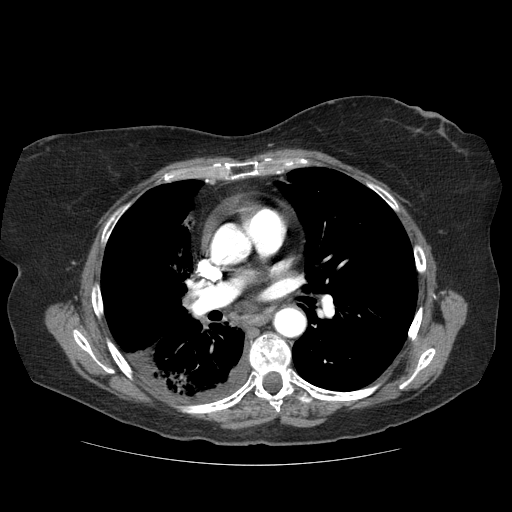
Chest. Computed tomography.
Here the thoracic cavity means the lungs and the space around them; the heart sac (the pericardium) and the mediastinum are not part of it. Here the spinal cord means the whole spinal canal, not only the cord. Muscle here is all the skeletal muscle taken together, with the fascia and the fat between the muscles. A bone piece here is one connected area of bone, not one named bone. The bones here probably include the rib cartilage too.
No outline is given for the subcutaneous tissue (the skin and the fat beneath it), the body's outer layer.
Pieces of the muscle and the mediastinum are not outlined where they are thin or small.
Outlines (x, y in pixels):
bones 1: 265,332 285,341 294,370 317,387 348,392 382,383 368,396 343,401 313,398 302,402 296,397 302,390 299,388 283,398 279,412 252,391 224,409 208,413 179,411 173,405 210,403 241,387 252,370 250,344 with a hole at 270,372 276,372 278,373 281,379 281,387 277,391 275,392 270,392 268,391 264,387 263,385 263,381 264,380 264,378 265,376 268,373
bones 2: 266,156 273,158 303,157 319,161 325,166 298,167 281,173 254,175 232,180 216,179 214,181 206,181 203,178 188,178 168,183 161,183 158,185 154,184 162,175 171,170 183,167 210,165 215,162 260,161
bones 3: 129,201 131,201 132,202 131,205 121,215 121,216 115,224 107,240 107,242 105,245 105,247 103,248 101,246 101,236 102,235 102,231 103,230 103,228 106,221 108,219 110,215 118,207 123,205 125,203
bones 4: 106,337 108,337 115,344 115,345 117,347 117,348 119,350 121,354 124,357 126,361 129,364 129,365 133,370 133,379 132,380 121,371 121,370 113,359 108,349 108,347 106,344 106,341 105,340 105,338
bones 5: 431,347 433,347 435,349 435,353 430,362 424,368 421,369 418,372 418,373 415,376 415,377 411,382 410,382 403,389 400,389 398,387 398,386 404,381 405,381 413,373 417,365 418,360 421,354 425,350
bones 6: 74,329 77,329 85,337 85,338 89,343 89,345 95,356 104,365 113,369 115,371 114,373 108,373 106,372 95,362 95,361 91,357 91,356 85,350 82,349 80,347 80,346 74,339 73,333 72,332
bones 7: 366,180 367,181 370,181 377,185 379,185 381,187 385,189 388,192 389,192 397,201 397,203 399,207 399,212 398,213 396,213 392,209 392,208 379,195 378,195 372,189 371,189 365,184 364,184 364,182
bones 8: 96,281 98,281 99,282 99,286 100,287 100,292 101,293 101,299 102,300 102,303 103,304 103,317 100,320 99,320 97,318 94,312 94,310 93,309 93,307 91,303 91,288 92,287 92,285
bones 9: 421,305 423,307 423,312 422,313 421,322 420,323 420,325 419,326 419,328 418,329 418,331 417,332 415,339 413,341 411,341 407,338 408,330 413,320 413,318 414,317 414,315 416,312 417,308
bones 10: 415,243 418,243 422,247 422,248 423,249 423,250 424,251 424,254 425,255 425,271 423,273 418,273 418,272 417,271 417,270 416,269 416,264 415,263 415,258 414,257 414,253 413,252 413,245
mediastinum: 286,171 287,182 274,185 293,210 272,192 236,188 199,223 197,254 195,254 193,264 196,268 197,275 205,285 230,302 279,300 290,293 298,279 303,232 303,275 295,297 307,325 291,347 272,331 250,343 240,328 208,310 196,294 196,279 194,277 190,232 204,184 198,179
torso: 365,94 438,112 481,136 494,162 502,190 490,247 500,299 494,349 472,388 417,419 363,437 221,446 169,439 122,423 31,379 6,309 17,268 0,257 6,198 27,144 55,133 152,124 244,135 320,102
muscle: 282,148 326,153 384,182 409,202 405,206 431,246 437,289 452,289 468,304 465,322 439,376 411,399 336,411 322,423 310,427 286,425 275,419 243,429 226,429 213,422 176,417 120,398 77,373 48,331 44,312 48,305 73,300 78,294 81,272 98,220 126,191 172,162 228,156 239,161 215,161 166,171 154,186 133,202 129,200 118,206 105,221 100,236 100,246 104,249 100,276 99,281 91,285 90,303 96,318 105,319 114,341 106,336 105,344 120,371 132,381 135,372 154,392 179,403 171,406 185,414 224,410 250,392 279,413 284,398 299,389 295,397 302,403 313,399 343,402 368,397 382,385 382,381 374,382 392,363 406,340 416,339 422,322 424,307 421,304 417,307 418,274 426,271 425,251 418,242 412,245 397,214 400,212 398,201 379,184 366,179 362,183 319,160 303,156 266,155 260,160 243,160, around holes outlined by 431,347 433,347 435,349 435,353 430,362 424,368 421,369 418,372 418,373 415,376 415,377 411,382 410,382 403,389 400,389 398,387 398,386 404,381 405,381 413,373 417,365 418,360 421,354 425,350 and by 74,329 77,329 85,337 85,338 89,343 89,345 95,356 104,365 113,369 115,371 114,373 108,373 106,372 95,362 95,361 91,357 91,356 85,350 82,349 80,347 80,346 74,339 73,333 72,332
spinal cord: 270,372 276,372 278,373 281,379 281,387 277,391 275,392 270,392 268,391 264,387 263,385 263,381 264,380 264,378 265,376 268,373
thoracic cavity 1: 307,167 337,170 372,190 397,215 412,246 417,300 406,339 387,368 369,385 358,389 340,391 317,386 303,378 292,365 291,348 308,325 306,312 296,297 304,275 306,239 293,207 275,182 287,183 289,171
thoracic cavity 2: 188,179 203,182 195,194 189,225 195,294 207,304 208,311 215,310 222,321 243,332 249,342 247,357 251,367 247,379 235,391 196,404 181,404 161,395 134,371 109,329 100,286 104,251 122,215 149,189
pericardium: 238,188 253,188 274,194 291,208 302,230 302,250 297,279 288,291 289,293 279,299 264,302 236,303 218,294 206,285 198,275 194,262 196,260 196,254 198,254 198,230 200,223 208,211 220,199 229,196